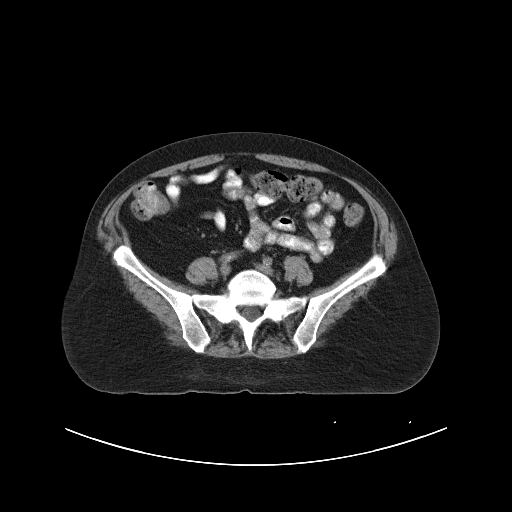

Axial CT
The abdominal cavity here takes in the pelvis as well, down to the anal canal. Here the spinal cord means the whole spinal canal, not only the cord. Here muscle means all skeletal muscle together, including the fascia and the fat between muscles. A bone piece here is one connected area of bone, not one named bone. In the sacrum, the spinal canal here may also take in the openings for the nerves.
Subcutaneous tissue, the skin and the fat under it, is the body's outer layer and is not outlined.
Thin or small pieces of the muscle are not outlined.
{"torso":[[[240,130],[284,133],[333,148],[370,171],[394,197],[412,232],[440,315],[440,338],[435,358],[415,385],[392,394],[254,394],[248,391],[115,394],[88,386],[74,372],[61,340],[62,302],[87,216],[101,190],[123,167],[159,146],[200,134]]],"abdominal_cavity":[{"outer":[[235,156],[323,172],[351,184],[367,202],[374,220],[371,255],[332,283],[316,287],[304,295],[287,297],[279,296],[271,278],[254,268],[245,268],[234,274],[221,293],[199,292],[154,270],[136,255],[129,234],[119,219],[124,200],[147,179]],"hole":[[202,256],[209,257],[210,258],[212,258],[214,260],[217,268],[217,275],[216,276],[216,279],[212,282],[204,285],[202,284],[201,285],[199,285],[198,284],[192,283],[187,279],[186,277],[186,270],[189,264],[192,261],[193,261],[196,258],[198,258]]}],"spinal_cord":[[[245,306],[257,306],[259,308],[259,309],[260,310],[260,314],[257,317],[256,317],[253,320],[252,320],[251,321],[250,320],[248,320],[243,315],[242,315],[242,314],[241,313],[241,311],[242,310],[242,308],[243,307],[244,307]]],"muscle":[[[228,151],[252,151],[281,154],[326,166],[368,188],[387,207],[394,221],[397,232],[397,249],[386,275],[365,298],[363,298],[340,319],[323,346],[310,349],[317,340],[318,328],[328,310],[344,295],[360,285],[378,278],[388,269],[384,257],[378,252],[372,253],[375,220],[368,202],[351,183],[339,176],[323,171],[269,162],[253,156],[235,155],[226,156],[202,166],[147,178],[128,194],[119,207],[118,219],[128,234],[131,247],[123,243],[118,245],[112,252],[112,258],[117,266],[136,276],[165,299],[178,319],[181,328],[181,336],[191,350],[190,351],[168,343],[157,322],[135,300],[102,252],[97,239],[98,222],[108,202],[121,189],[141,176],[167,165],[202,155]],[[303,309],[304,313],[291,339],[298,355],[286,358],[262,359],[253,356],[222,358],[202,354],[210,343],[211,338],[197,310],[203,310],[222,324],[236,322],[242,332],[245,346],[250,351],[252,349],[254,335],[263,322],[270,320],[278,323],[289,315]],[[202,256],[209,257],[210,258],[212,258],[214,260],[217,268],[217,275],[216,276],[216,279],[212,282],[204,285],[202,284],[201,285],[199,285],[198,284],[192,283],[187,279],[186,277],[186,270],[189,264],[192,261],[193,261],[196,258],[198,258]],[[287,256],[300,256],[301,257],[304,258],[304,259],[307,262],[310,269],[312,271],[312,274],[313,275],[312,280],[308,284],[306,284],[305,285],[297,285],[295,283],[292,282],[286,277],[286,275],[285,274],[285,269],[284,268],[284,260]],[[141,261],[146,264],[150,268],[151,268],[160,275],[164,276],[178,284],[181,284],[185,286],[188,286],[191,288],[194,288],[196,289],[198,291],[198,292],[190,294],[182,290],[178,290],[177,289],[175,289],[165,284],[152,274],[151,274],[146,269]],[[362,264],[363,264],[354,272],[349,275],[344,280],[343,280],[339,284],[333,288],[327,291],[313,295],[308,298],[307,296],[305,295],[308,294],[312,290],[316,288],[324,287],[332,284],[337,279],[344,274],[349,272],[354,267],[356,266],[359,266]]],"bones":[{"outer":[[122,244],[151,275],[190,295],[221,294],[234,275],[254,269],[270,278],[277,297],[308,299],[374,253],[387,269],[327,310],[305,353],[292,341],[304,308],[263,321],[250,350],[236,321],[197,309],[210,338],[200,354],[166,299],[117,265],[113,252]],"hole":[[245,306],[257,306],[259,308],[259,309],[260,310],[260,314],[257,317],[256,317],[253,320],[252,320],[251,321],[250,320],[248,320],[243,315],[242,315],[242,314],[241,313],[241,311],[242,310],[242,308],[243,307],[244,307]]}]}